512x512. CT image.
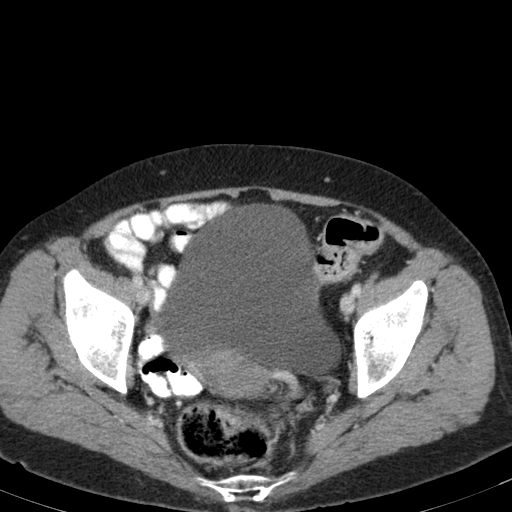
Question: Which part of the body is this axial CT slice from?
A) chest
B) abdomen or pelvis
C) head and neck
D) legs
Answer: B) abdomen or pelvis
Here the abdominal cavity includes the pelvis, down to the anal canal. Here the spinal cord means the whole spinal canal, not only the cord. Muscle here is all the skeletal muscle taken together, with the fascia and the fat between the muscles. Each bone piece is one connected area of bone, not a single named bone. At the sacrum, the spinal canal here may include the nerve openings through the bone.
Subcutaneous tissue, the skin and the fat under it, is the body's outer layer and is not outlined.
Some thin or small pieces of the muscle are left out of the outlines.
The muscle is outlined by (252, 184) (322, 195) (365, 206) (399, 224) (424, 245) (447, 252) (469, 271) (477, 280) (483, 294) (483, 304) (494, 346) (496, 370) (495, 382) (489, 394) (489, 400) (477, 422) (445, 434) (432, 442) (405, 447) (392, 454) (343, 471) (285, 499) (266, 505) (252, 501) (226, 504) (194, 495) (103, 453) (30, 430) (5, 416) (0, 408) (0, 300) (8, 283) (10, 271) (29, 250) (58, 236) (78, 235) (84, 228) (107, 213) (137, 201) (195, 190) with a hole at (249, 190) (265, 191) (273, 200) (364, 209) (415, 253) (394, 275) (382, 278) (378, 269) (368, 274) (355, 320) (417, 279) (428, 297) (420, 332) (397, 374) (357, 397) (353, 351) (347, 391) (355, 403) (305, 437) (291, 469) (295, 477) (262, 501) (227, 502) (193, 479) (201, 475) (129, 401) (135, 387) (131, 345) (126, 394) (78, 359) (64, 319) (62, 278) (76, 268) (137, 316) (131, 279) (92, 262) (88, 243) (146, 204) (220, 193) (236, 197). The bones appear in 3 outlined pieces: piece 1: (72, 268) (76, 268) (84, 278) (95, 287) (124, 302) (130, 307) (135, 314) (133, 336) (126, 361) (127, 364) (125, 373) (125, 382) (127, 387) (126, 394) (122, 394) (115, 390) (92, 374) (78, 359) (76, 351) (69, 340) (64, 319) (65, 298) (62, 278) (66, 272); piece 2: (417, 279) (422, 279) (426, 284) (428, 288) (428, 297) (423, 316) (422, 327) (410, 353) (401, 369) (393, 378) (373, 393) (366, 397) (359, 398) (356, 395) (357, 366) (355, 361) (353, 346) (354, 324) (356, 320) (365, 311) (380, 304) (386, 303) (395, 298); piece 3: (291, 471) (296, 473) (295, 477) (287, 482) (275, 486) (262, 501) (242, 498) (227, 502) (223, 499) (219, 492) (210, 487) (200, 485) (193, 479) (194, 477) (200, 476) (202, 478) (205, 477) (211, 480) (220, 480) (222, 478) (239, 474) (255, 474) (270, 478) (278, 478), around a hole outlined by (251, 491) (258, 491) (257, 492) (256, 492) (255, 493) (254, 493) (253, 494) (252, 494) (251, 495) (235, 495) (234, 494) (233, 494) (231, 492) (230, 492) (234, 492) (235, 493) (239, 493) (240, 494) (241, 493) (247, 493) (248, 492) (250, 492). The torso is outlined by (220, 142) (305, 146) (374, 163) (399, 175) (421, 190) (469, 238) (493, 273) (511, 329) (511, 446) (462, 470) (401, 491) (301, 511) (184, 511) (140, 504) (64, 485) (29, 472) (19, 463) (12, 464) (0, 457) (0, 251) (12, 236) (31, 219) (121, 166) (178, 148). The abdominal cavity is outlined by (249, 190) (265, 191) (273, 200) (364, 209) (415, 253) (396, 274) (382, 278) (374, 269) (362, 284) (347, 383) (355, 403) (305, 437) (285, 474) (211, 479) (202, 477) (129, 401) (135, 387) (137, 290) (127, 275) (92, 262) (86, 246) (146, 204) (220, 193) (236, 197). The spinal cord is outlined by (251, 491) (258, 491) (257, 492) (256, 492) (255, 493) (254, 493) (253, 494) (252, 494) (251, 495) (235, 495) (234, 494) (233, 494) (231, 492) (230, 492) (234, 492) (235, 493) (239, 493) (240, 494) (241, 493) (247, 493) (248, 492) (250, 492).